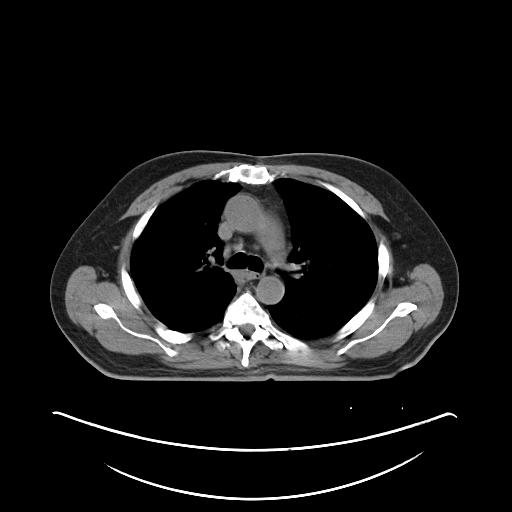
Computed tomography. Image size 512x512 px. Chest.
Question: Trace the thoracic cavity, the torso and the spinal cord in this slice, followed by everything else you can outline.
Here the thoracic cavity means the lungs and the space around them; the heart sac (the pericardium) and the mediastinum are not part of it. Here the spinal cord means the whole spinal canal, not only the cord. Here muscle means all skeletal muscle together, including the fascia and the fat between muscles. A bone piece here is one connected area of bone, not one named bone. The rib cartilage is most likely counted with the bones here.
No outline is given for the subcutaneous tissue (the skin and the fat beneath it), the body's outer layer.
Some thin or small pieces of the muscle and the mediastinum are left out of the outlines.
Answer: Outlines (x, y in pixels):
thoracic cavity 1: [[278,178],[291,178],[320,186],[336,195],[367,222],[377,245],[377,280],[369,299],[334,333],[323,337],[307,340],[297,338],[276,326],[267,310],[269,305],[277,304],[284,296],[285,282],[280,271],[293,249],[292,228],[289,216],[284,200],[274,182]]
thoracic cavity 2: [[205,179],[223,179],[223,183],[238,182],[240,185],[238,191],[223,204],[216,228],[223,244],[223,269],[232,277],[236,289],[234,297],[225,308],[220,324],[200,331],[182,332],[167,327],[148,309],[130,275],[130,258],[134,242],[158,206],[192,184]]
torso: [[190,149],[256,156],[337,153],[367,160],[389,171],[432,218],[456,260],[459,293],[449,325],[413,366],[393,377],[371,381],[271,378],[253,382],[143,381],[117,379],[100,372],[78,353],[55,321],[49,298],[55,263],[74,231],[127,171],[152,157]]
spinal cord: [[244,324],[251,324],[253,326],[253,327],[254,328],[254,330],[248,336],[246,336],[245,335],[244,335],[240,331],[240,329],[239,328],[240,327],[240,326],[241,325],[243,325]]
bones 1: [[247,290],[268,312],[276,327],[306,342],[311,351],[300,353],[284,347],[275,350],[258,341],[249,352],[248,366],[244,367],[241,363],[242,348],[237,342],[230,341],[229,346],[218,349],[216,342],[209,339],[208,335],[215,332],[221,325],[229,303]], around a hole outlined by [[244,324],[251,324],[253,326],[253,327],[254,328],[254,330],[248,336],[246,336],[245,335],[244,335],[240,331],[240,329],[239,328],[240,327],[240,326],[241,325],[243,325]]
bones 2: [[241,163],[264,165],[270,172],[275,172],[276,171],[281,172],[282,171],[285,171],[285,177],[281,177],[278,175],[271,182],[268,182],[263,184],[252,184],[241,181],[233,182],[223,178],[213,179],[212,177],[221,170],[227,169],[236,165],[239,165]]
bones 3: [[98,303],[105,303],[109,305],[113,309],[122,324],[127,328],[134,332],[146,334],[157,338],[164,345],[176,350],[178,353],[176,355],[170,356],[155,341],[148,338],[139,337],[125,331],[112,317],[105,319],[102,318],[94,309],[94,305]]
bones 4: [[370,298],[374,298],[374,300],[375,301],[375,305],[374,306],[374,308],[373,309],[372,313],[359,327],[358,327],[350,334],[341,339],[339,339],[336,341],[333,341],[332,339],[334,336],[334,334],[356,313],[357,313],[366,304],[366,303],[370,299]]
bones 5: [[405,301],[411,302],[415,304],[417,307],[416,309],[412,310],[404,316],[396,316],[392,318],[375,335],[368,339],[355,343],[345,352],[339,355],[336,354],[336,352],[339,349],[342,348],[351,340],[364,337],[371,333],[383,323],[400,302],[404,302]]
bones 6: [[121,266],[124,266],[126,270],[129,273],[129,275],[134,284],[136,291],[139,294],[142,299],[143,303],[140,306],[141,311],[139,311],[134,307],[134,306],[128,299],[125,293],[125,291],[123,288],[122,282],[121,281],[121,275],[120,274],[120,268]]
bones 7: [[158,321],[163,323],[167,328],[174,331],[177,331],[178,332],[181,332],[182,333],[189,333],[190,332],[192,332],[193,333],[193,336],[190,340],[184,343],[172,343],[171,342],[169,342],[161,338],[155,331],[154,329],[154,326],[158,322]]
bones 8: [[381,240],[382,240],[383,241],[383,242],[384,243],[384,244],[387,247],[387,248],[388,249],[388,251],[389,252],[389,258],[390,259],[390,265],[391,266],[391,270],[386,275],[386,276],[385,277],[385,278],[382,281],[378,281],[378,243]]
bones 9: [[318,180],[320,180],[324,182],[327,182],[337,187],[344,193],[345,193],[348,196],[349,196],[360,207],[362,211],[365,214],[366,216],[366,219],[364,219],[361,216],[360,216],[351,207],[350,207],[336,194],[335,194],[330,190],[319,185],[317,182]]
bones 10: [[157,200],[158,200],[158,205],[157,207],[150,216],[149,219],[147,221],[145,226],[143,228],[139,236],[134,241],[132,239],[132,235],[133,234],[133,230],[136,223],[138,221],[139,218],[142,215],[142,214],[143,214],[144,212],[155,201]]
mediastinum: [[273,181],[283,200],[288,216],[291,228],[292,249],[279,271],[284,282],[283,296],[277,303],[269,304],[265,309],[248,289],[235,296],[237,285],[233,277],[224,269],[224,244],[217,233],[217,228],[224,204],[239,191],[241,187],[239,182],[263,185]]
muscle: [[229,161],[245,162],[196,181],[160,204],[158,199],[155,200],[133,227],[129,271],[124,265],[120,266],[120,281],[133,307],[141,312],[144,304],[157,319],[153,329],[161,339],[184,344],[195,332],[220,325],[207,335],[208,339],[215,342],[220,351],[229,347],[230,342],[237,343],[241,348],[240,363],[247,368],[250,352],[258,342],[271,350],[284,348],[305,354],[312,351],[305,341],[333,334],[333,342],[341,340],[373,313],[376,301],[371,296],[377,281],[382,282],[392,266],[388,247],[382,239],[377,244],[361,207],[327,181],[318,179],[317,185],[286,177],[285,170],[270,171],[267,168],[264,164],[258,164],[317,167],[344,176],[370,192],[388,218],[376,222],[392,252],[392,280],[404,284],[410,271],[420,263],[431,265],[438,273],[444,296],[436,318],[394,351],[360,358],[329,370],[285,364],[256,369],[183,369],[143,354],[114,352],[102,346],[68,316],[65,289],[71,273],[81,265],[89,265],[100,277],[114,279],[121,240],[133,222],[129,218],[119,219],[134,199],[172,173],[198,164]]; inner edges: [[98,303],[105,303],[109,305],[113,309],[122,324],[127,328],[134,332],[146,334],[157,338],[164,345],[176,350],[178,353],[176,355],[170,356],[155,341],[148,338],[139,337],[125,331],[112,317],[105,319],[102,318],[94,309],[94,305]], then [[405,301],[411,302],[415,304],[417,307],[416,309],[412,310],[404,316],[396,316],[392,318],[375,335],[368,339],[355,343],[345,352],[339,355],[336,354],[336,352],[339,349],[342,348],[351,340],[364,337],[371,333],[383,323],[400,302],[404,302]]